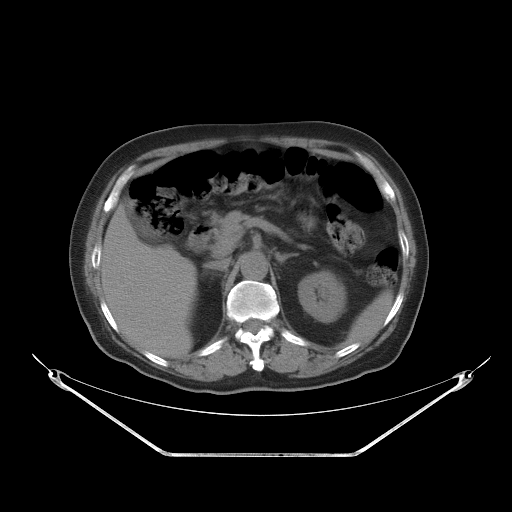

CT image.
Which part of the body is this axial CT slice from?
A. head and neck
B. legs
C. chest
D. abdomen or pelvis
D. abdomen or pelvis
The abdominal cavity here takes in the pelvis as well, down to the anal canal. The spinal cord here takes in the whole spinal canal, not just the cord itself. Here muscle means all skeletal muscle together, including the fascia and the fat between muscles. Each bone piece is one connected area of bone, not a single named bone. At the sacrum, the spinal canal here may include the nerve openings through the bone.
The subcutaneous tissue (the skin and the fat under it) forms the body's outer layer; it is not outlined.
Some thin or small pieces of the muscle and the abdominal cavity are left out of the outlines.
The torso is outlined by 293,120 329,121 367,133 398,162 417,195 429,246 429,268 413,329 399,356 380,370 335,385 299,391 247,391 220,395 180,389 106,355 93,341 80,315 68,266 72,219 99,164 122,143 141,134 176,125. The muscle is outlined by 243,134 347,143 374,157 401,193 416,245 416,263 396,326 378,346 329,372 289,377 286,373 264,369 260,349 274,336 271,322 281,308 299,335 282,327 279,330 282,338 304,347 308,341 325,347 341,345 334,352 336,358 341,358 357,349 360,341 382,324 385,327 401,306 404,299 404,293 399,291 402,264 410,253 409,241 405,232 398,230 396,214 389,202 396,199 393,188 374,163 357,150 353,154 359,163 305,147 282,146 259,139 230,141 180,152 134,176 137,166 134,163 117,177 103,203 102,210 108,214 101,243 93,246 90,262 99,273 103,296 100,309 113,330 121,332 146,358 167,367 169,361 182,360 198,350 196,354 203,357 222,347 225,336 204,346 218,330 224,304 227,317 236,324 234,338 251,351 248,364 252,369 215,381 201,381 146,363 112,339 85,283 85,242 93,212 109,180 124,164 159,147. The bones appear in 11 outlined pieces: piece 1: 242,280 255,280 270,284 275,291 279,304 279,312 270,322 274,334 269,340 264,341 259,349 259,356 264,363 261,371 254,370 249,364 253,358 252,351 246,343 235,338 237,324 227,315 228,293 236,283, around a hole outlined by 251,318 253,318 254,319 258,319 259,320 261,320 264,322 264,324 263,325 263,326 261,328 260,328 259,329 259,330 256,333 253,333 248,330 245,330 242,327 242,324 245,321 246,321 248,319 250,319; piece 2: 355,151 359,152 362,155 369,159 379,170 382,176 388,182 394,192 395,199 393,201 388,201 383,196 380,190 379,185 376,181 374,176 367,169 366,169 366,168 358,160 357,157 354,154 354,152; piece 3: 134,164 136,165 134,170 134,173 120,190 120,192 119,193 119,195 115,205 113,208 112,208 108,212 105,212 103,210 103,206 104,205 104,203 107,197 109,195 116,180 118,177 128,167 132,166; piece 4: 282,328 285,328 294,335 296,335 297,336 299,336 300,337 303,338 306,341 307,341 308,344 305,346 304,346 303,345 298,345 297,344 295,344 294,343 292,343 291,342 286,340 280,335 280,330; piece 5: 399,292 402,292 403,293 403,299 400,304 400,306 395,313 395,314 393,316 393,317 389,321 389,322 385,326 383,326 383,322 386,316 388,314 390,309 392,307 392,305 394,303 394,301 396,298 396,296; piece 6: 224,337 225,337 226,339 223,342 223,343 221,345 221,347 219,349 216,350 212,353 210,353 207,355 204,355 203,356 199,356 197,354 197,353 202,348; piece 7: 101,300 104,300 105,303 107,305 107,307 109,309 109,310 119,329 119,332 117,332 114,330 114,329 110,325 110,324 108,322 107,319 105,317 105,316 101,309 101,307 100,306 100,302 101,301; piece 8: 400,230 402,230 404,232 407,238 407,240 408,241 408,245 409,246 409,253 408,254 408,256 406,258 404,258 402,255 402,251 401,250 401,247 400,246 400,242 399,241 399,238 398,237 398,231; piece 9: 96,244 99,244 100,245 100,246 101,247 101,253 100,254 100,260 99,261 99,267 98,268 94,268 93,267 93,266 92,265 92,263 91,262 91,254 92,253 92,250 93,249 93,248 94,247 94,246; piece 10: 355,342 359,342 360,343 359,346 357,348 356,348 351,352 350,352 349,353 348,353 341,357 336,357 335,356 335,352 336,351 337,351 338,350 343,348 345,346 347,346 348,345 349,345 350,344 352,344; piece 11: 142,351 147,351 148,352 150,352 152,354 154,354 157,356 159,356 160,357 167,360 168,361 168,365 167,366 163,366 160,364 158,364 157,363 152,361 150,359 149,359 147,357 146,357 142,353. The spinal cord is outlined by 251,318 253,318 254,319 258,319 259,320 261,320 264,322 264,324 263,325 263,326 261,328 260,328 259,329 259,330 256,333 253,333 248,330 245,330 242,327 242,324 245,321 246,321 248,319 250,319. The abdominal cavity is outlined by 242,140 351,160 373,176 395,214 402,263 393,303 367,337 344,346 306,339 286,318 272,285 255,279 242,279 230,288 215,333 182,359 142,350 120,331 104,299 99,268 104,225 121,190 131,178 180,153.